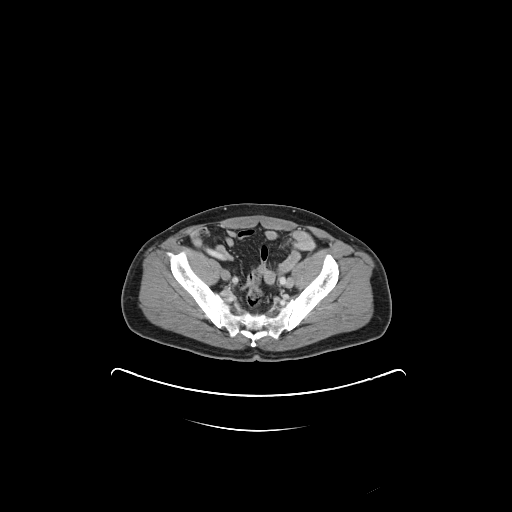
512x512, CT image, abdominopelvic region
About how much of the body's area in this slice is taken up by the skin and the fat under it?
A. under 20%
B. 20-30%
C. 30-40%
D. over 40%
B. 20-30%
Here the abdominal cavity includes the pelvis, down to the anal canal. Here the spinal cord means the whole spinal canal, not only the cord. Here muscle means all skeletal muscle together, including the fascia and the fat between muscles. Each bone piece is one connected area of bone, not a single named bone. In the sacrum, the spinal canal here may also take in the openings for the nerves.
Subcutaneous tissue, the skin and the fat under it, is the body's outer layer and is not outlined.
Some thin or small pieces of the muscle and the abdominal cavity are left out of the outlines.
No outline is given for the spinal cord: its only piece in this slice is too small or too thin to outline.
{"abdominal_cavity":[[[257,224],[265,228],[285,231],[304,228],[326,244],[300,261],[293,269],[295,284],[301,290],[299,293],[282,305],[278,311],[267,314],[253,313],[248,310],[242,312],[226,302],[211,288],[219,278],[219,264],[184,243],[190,233],[203,226],[251,228]]],"muscle":[[[248,215],[265,215],[314,226],[367,253],[375,265],[370,278],[374,311],[369,322],[358,329],[335,334],[295,349],[266,351],[255,347],[256,342],[263,337],[269,336],[277,340],[283,331],[289,332],[297,327],[336,286],[340,274],[338,262],[330,253],[326,253],[319,272],[300,289],[296,284],[294,269],[300,262],[326,247],[327,244],[304,227],[285,230],[257,223],[251,227],[203,225],[194,229],[184,239],[184,244],[218,264],[219,275],[211,286],[194,271],[184,250],[176,253],[169,250],[165,252],[172,276],[191,296],[204,316],[217,328],[224,328],[230,337],[240,334],[248,338],[250,340],[248,347],[221,348],[151,323],[138,305],[145,252],[164,237],[188,226]]],"torso":[[[244,202],[283,204],[306,209],[328,219],[367,244],[385,268],[391,294],[392,315],[384,334],[377,339],[359,345],[301,359],[274,362],[242,362],[205,357],[146,339],[132,332],[124,321],[120,297],[126,272],[139,248],[152,236],[188,216],[215,206]]],"bones":[[[168,251],[175,254],[184,251],[193,271],[230,305],[234,314],[248,311],[275,316],[320,272],[326,254],[337,262],[339,274],[335,286],[297,326],[283,330],[277,339],[263,336],[251,347],[248,337],[240,333],[232,337],[205,316],[173,276]]]}